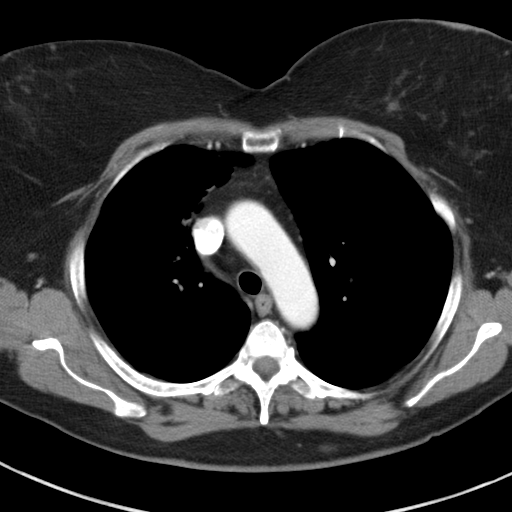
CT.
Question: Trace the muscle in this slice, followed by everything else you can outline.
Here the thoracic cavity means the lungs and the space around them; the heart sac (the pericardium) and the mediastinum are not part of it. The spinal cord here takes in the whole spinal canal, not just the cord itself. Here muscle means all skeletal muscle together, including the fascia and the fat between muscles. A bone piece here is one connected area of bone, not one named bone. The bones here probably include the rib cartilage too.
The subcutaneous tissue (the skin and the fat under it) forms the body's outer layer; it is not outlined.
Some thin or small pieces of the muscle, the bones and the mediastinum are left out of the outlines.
Answer: Outlined structures:
muscle: 224,113 234,118 249,121 259,127 286,119 290,115 297,117 338,115 377,125 399,135 405,143 409,157 415,163 431,166 453,180 457,185 457,188 446,183 444,186 447,195 454,200 469,231 471,239 470,256 472,259 472,268 475,273 475,279 477,281 498,268 507,266 511,267 511,348 502,368 489,380 483,383 477,384 465,391 456,393 431,405 419,408 416,412 405,418 394,429 381,435 367,437 325,430 293,430 283,428 276,430 260,426 256,428 221,430 177,441 165,442 148,436 137,425 113,416 99,408 51,393 42,392 24,382 16,373 13,365 0,354 0,276 13,282 20,280 39,288 44,286 60,288 62,286 59,282 63,276 63,261 66,246 88,211 92,200 88,199 78,206 75,204 76,202 74,200 67,200 57,205 52,205 52,203 65,194 95,180 104,169 110,156 120,143 143,128 162,121 202,115 222,116 with holes at 338,123 378,140 427,196 441,195 453,212 451,273 460,270 462,291 429,357 421,363 426,343 389,378 362,388 375,393 363,400 310,399 279,385 266,425 256,392 243,382 223,395 166,397 126,382 90,338 92,329 109,341 89,301 78,306 69,273 72,248 82,236 87,242 117,174 160,141 240,148 243,130 279,128 279,146 294,146 298,134 and at 47,337 58,339 63,348 66,364 77,375 112,391 121,398 143,405 146,414 141,417 120,417 115,415 112,411 114,408 112,399 105,392 84,385 72,377 62,366 56,350 52,348 39,350 32,345 33,340 and at 492,321 501,323 502,328 499,333 484,340 480,344 475,353 464,365 453,373 438,380 411,407 407,407 404,405 403,403 404,401 415,395 433,376 437,373 453,366 460,361 470,351 474,343 478,328 481,324
bones 1: 264,319 283,330 296,358 312,373 336,386 375,393 363,400 310,399 282,384 269,401 266,425 259,421 260,402 248,384 242,382 223,395 152,396 118,375 89,335 96,331 140,373 188,383 233,361 251,326, around a hole outlined by 265,356 267,356 268,357 270,357 274,359 278,366 278,369 277,371 275,372 272,375 271,375 267,379 265,379 263,378 257,372 256,372 253,368 253,365 256,361 256,360 261,357 264,357
bones 2: 47,337 58,339 63,348 66,364 77,375 112,391 121,398 143,405 146,414 141,417 120,417 115,415 112,411 114,408 112,399 105,392 84,385 72,377 62,366 56,350 52,348 39,350 32,345 33,340
bones 3: 455,268 458,268 460,270 463,280 462,291 461,292 459,303 457,306 453,318 440,342 429,357 424,362 421,363 423,356 428,348 428,344 427,343 428,340 441,314 448,293 448,289 449,288 451,277
bones 4: 492,321 501,323 502,328 499,333 484,340 480,344 475,353 464,365 453,373 438,380 411,407 407,407 404,405 403,403 404,401 415,395 433,376 437,373 453,366 460,361 470,351 474,343 478,328 481,324
bones 5: 82,236 85,241 83,262 84,263 84,278 85,279 85,287 86,288 86,294 87,295 87,302 85,303 84,307 81,309 78,306 76,302 71,286 70,274 69,273 69,256 72,250 72,248 78,241 80,237
bones 6: 338,123 342,123 346,126 353,126 359,129 362,132 371,135 382,144 387,153 382,151 377,147 366,141 360,140 356,138 309,136 306,140 298,140 295,139 294,138 300,133 308,132 317,127 335,125
bones 7: 276,128 279,128 281,130 281,133 280,134 280,142 279,143 279,146 273,152 258,152 257,153 247,153 246,152 244,152 241,149 241,134 243,130 255,130 256,131 267,131 268,130 270,130 271,129 275,129
bones 8: 160,141 169,141 170,142 170,144 165,148 144,158 132,167 119,180 104,199 103,198 103,195 108,189 110,184 114,178 124,167 124,166 131,160 137,152 141,149 151,144 153,144 156,142 159,142
bones 9: 430,190 432,190 436,193 441,195 447,200 447,201 453,212 453,214 454,215 454,219 455,220 455,230 454,231 454,233 451,233 448,226 435,211 435,210 432,205 432,203 428,196 428,194 429,193 429,191
spinal cord: 265,356 267,356 268,357 270,357 274,359 278,366 278,369 277,371 275,372 272,375 271,375 267,379 265,379 263,378 257,372 256,372 253,368 253,365 256,361 256,360 261,357 264,357
thoracic cavity 1: 330,138 363,141 396,160 428,197 452,240 452,269 447,293 427,342 411,361 389,378 361,389 324,380 296,356 295,335 308,332 316,325 320,301 300,227 270,168 270,159 274,154 293,148 297,142
thoracic cavity 2: 206,141 219,141 231,151 251,154 250,163 231,164 229,178 207,190 200,209 191,214 187,223 199,260 246,304 250,327 229,363 198,380 173,382 135,369 110,344 88,300 85,247 105,198 132,168 169,146
mediastinum: 284,146 293,147 274,153 269,168 299,227 319,301 317,321 308,331 294,335 296,347 269,318 251,325 247,304 200,260 188,225 192,214 201,209 208,190 230,178 232,164 250,164 252,154 273,153
torso: 412,17 468,23 511,39 511,393 464,423 406,450 339,466 285,472 214,471 140,460 87,443 0,402 1,53 20,46 53,40 80,38 130,40 169,48 250,86 262,87 283,75 311,47 344,29 377,20